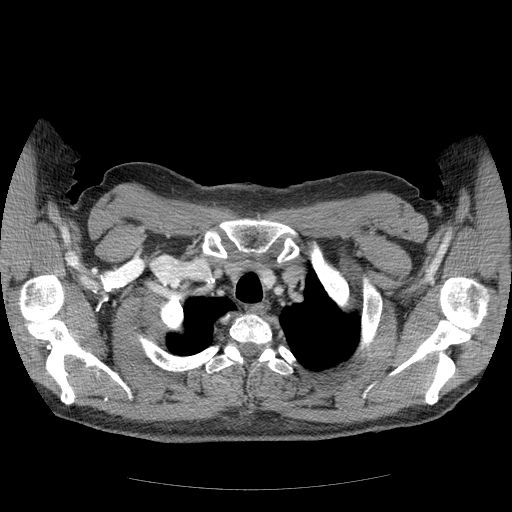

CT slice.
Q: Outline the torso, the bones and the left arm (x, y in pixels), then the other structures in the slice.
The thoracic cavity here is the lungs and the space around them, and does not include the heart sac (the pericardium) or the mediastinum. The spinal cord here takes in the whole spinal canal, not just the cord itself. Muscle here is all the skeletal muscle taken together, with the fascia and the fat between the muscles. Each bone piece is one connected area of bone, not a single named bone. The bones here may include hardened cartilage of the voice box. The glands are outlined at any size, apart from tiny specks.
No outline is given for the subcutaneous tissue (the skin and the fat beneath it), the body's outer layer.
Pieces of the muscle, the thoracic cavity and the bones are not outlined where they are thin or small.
A: {"torso":[[[130,161],[161,164],[204,185],[250,180],[283,186],[367,169],[416,185],[424,198],[445,320],[495,350],[476,386],[435,420],[316,441],[165,443],[58,417],[33,384],[8,329],[50,320],[60,310],[62,244],[73,202],[84,189],[98,184],[107,169]]],"bones":[{"outer":[[245,312],[278,320],[282,332],[279,340],[302,366],[301,371],[296,368],[286,376],[264,363],[248,385],[237,364],[210,374],[203,365],[170,371],[153,363],[137,339],[138,334],[143,334],[172,354],[192,355],[226,334],[226,326],[217,323],[220,317]],"hole":[[244,343],[253,343],[254,344],[255,344],[256,345],[258,345],[261,347],[261,351],[260,352],[259,355],[254,360],[253,360],[249,363],[246,362],[245,359],[241,355],[241,353],[240,352],[240,351],[239,350],[239,348],[238,347],[239,344],[243,344]]},[[41,274],[55,275],[64,288],[57,317],[84,349],[119,375],[130,388],[132,400],[115,381],[104,373],[97,377],[92,367],[72,355],[65,356],[64,365],[75,402],[67,405],[60,400],[60,387],[45,367],[48,342],[28,331],[17,304],[22,284]],[[457,276],[481,283],[489,290],[491,297],[487,314],[471,337],[450,345],[445,351],[453,360],[455,370],[440,389],[438,400],[428,405],[423,400],[433,379],[438,360],[436,351],[392,376],[388,374],[408,359],[445,317],[439,304],[440,286],[446,279]],[[258,216],[287,224],[297,232],[294,240],[300,247],[300,255],[298,257],[280,263],[276,261],[282,245],[282,238],[279,238],[266,252],[259,253],[238,250],[223,233],[223,244],[227,251],[227,258],[223,259],[201,254],[199,243],[208,229],[225,220]],[[313,240],[315,240],[319,244],[324,258],[339,271],[341,275],[346,280],[349,286],[349,290],[350,291],[350,299],[349,300],[350,308],[349,310],[346,312],[342,311],[328,295],[310,262],[309,257],[307,254],[307,251],[309,248],[309,242]],[[363,276],[366,276],[369,279],[369,281],[380,293],[382,298],[382,310],[381,311],[379,323],[376,329],[376,334],[374,336],[373,340],[368,349],[361,356],[354,359],[350,359],[358,344],[360,337],[360,313],[362,309],[362,286],[363,285],[362,279]],[[174,297],[177,297],[179,298],[182,304],[183,316],[184,317],[183,319],[183,322],[182,323],[182,325],[183,326],[183,331],[182,332],[166,331],[165,329],[165,326],[162,322],[160,317],[160,307],[159,305],[163,302],[166,302],[170,298],[173,298]]],"left_arm":[[[473,128],[481,135],[491,157],[497,165],[496,169],[504,185],[511,217],[511,287],[503,318],[503,326],[495,349],[446,320],[438,295],[436,255],[425,205],[425,198],[432,198],[436,190],[441,186],[438,176],[439,167],[434,157],[436,152],[450,139]]],"thyroid_glands":[[[233,263],[237,263],[238,264],[239,264],[239,270],[237,272],[237,273],[235,275],[235,276],[232,279],[230,277],[230,276],[229,275],[228,275],[228,273],[227,272],[227,271],[228,270],[228,269],[227,268],[227,266],[228,265],[228,264],[232,264]],[[266,270],[267,270],[268,271],[269,271],[270,272],[271,272],[271,274],[273,276],[273,278],[274,279],[274,281],[273,282],[273,283],[269,287],[268,287],[266,285],[266,284],[265,283],[265,281],[264,280],[264,271],[265,271]]],"mediastinum":[{"outer":[[237,251],[265,253],[275,257],[278,264],[295,259],[307,263],[304,288],[301,291],[304,298],[283,308],[277,318],[274,315],[267,317],[262,312],[242,311],[226,294],[191,296],[196,284],[192,271],[198,258],[207,256],[220,261],[230,260],[236,256]],"hole":[[233,263],[237,263],[238,264],[239,264],[239,270],[237,272],[237,273],[235,275],[235,276],[232,279],[230,277],[230,276],[229,275],[228,275],[228,273],[227,272],[227,271],[228,270],[228,269],[227,268],[227,266],[228,265],[228,264],[232,264]]}],"thoracic_cavity":[[[309,266],[312,267],[327,295],[342,312],[346,313],[356,311],[359,313],[359,337],[350,357],[335,367],[321,371],[307,369],[298,361],[283,340],[283,332],[280,329],[278,319],[279,313],[283,309],[295,305],[305,298],[302,291],[305,288],[305,278]],[[188,295],[194,298],[226,295],[232,299],[242,312],[244,312],[234,316],[230,312],[227,312],[220,316],[216,320],[217,325],[213,330],[212,344],[195,353],[180,355],[167,350],[166,335],[169,332],[182,333],[184,331],[183,323],[185,317],[182,303]]],"muscle":[{"outer":[[33,138],[58,215],[75,222],[85,240],[90,209],[123,182],[141,183],[166,197],[219,204],[260,194],[275,206],[387,190],[422,213],[432,233],[453,215],[463,185],[468,211],[476,211],[477,158],[484,154],[498,184],[509,243],[506,289],[487,360],[478,374],[439,399],[456,370],[446,351],[472,337],[492,297],[481,282],[457,275],[439,286],[444,317],[387,374],[392,377],[436,352],[425,406],[347,425],[289,422],[271,411],[227,423],[126,420],[73,404],[66,356],[92,368],[97,378],[107,376],[129,401],[134,396],[58,317],[65,288],[55,274],[41,273],[21,284],[16,304],[27,331],[47,342],[44,367],[59,387],[59,399],[28,368],[4,280],[7,207]],"hole":[[258,216],[292,227],[296,258],[309,266],[309,242],[319,244],[349,286],[349,312],[361,312],[369,279],[382,310],[368,349],[286,376],[263,363],[248,385],[237,364],[206,374],[203,365],[153,363],[137,335],[167,349],[159,305],[193,290],[205,232]]},[[223,234],[234,245],[234,246],[236,248],[236,249],[237,250],[234,255],[235,256],[234,256],[233,257],[233,258],[231,258],[230,259],[229,259],[228,258],[229,255],[228,254],[228,251],[227,250],[227,249],[224,244],[224,237],[223,236]],[[279,239],[282,239],[282,240],[281,241],[281,245],[280,246],[280,248],[279,249],[279,251],[278,252],[278,253],[276,255],[276,256],[271,256],[269,254],[266,254],[266,253],[270,249],[270,248]]],"right_arm":[[[42,116],[53,121],[65,140],[81,154],[80,159],[75,163],[73,175],[77,182],[67,193],[67,196],[72,199],[72,206],[67,231],[61,244],[59,276],[62,305],[50,319],[8,328],[0,289],[1,204],[4,203],[6,190],[20,148],[26,144]]],"spinal_cord":[[[244,343],[253,343],[254,344],[255,344],[256,345],[258,345],[261,347],[261,351],[260,352],[259,355],[254,360],[253,360],[249,363],[246,362],[245,359],[241,355],[241,353],[240,352],[240,351],[239,350],[239,348],[238,347],[239,344],[243,344]]]}